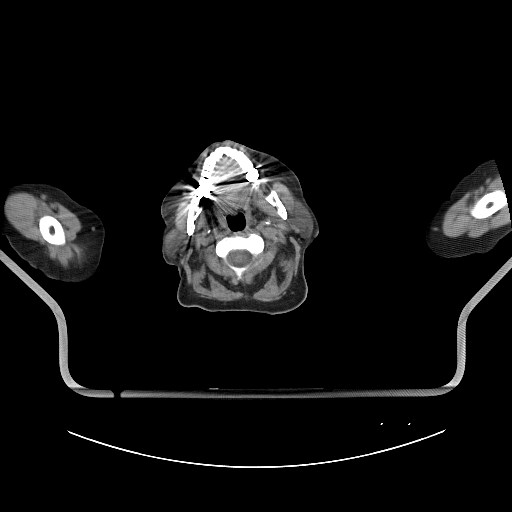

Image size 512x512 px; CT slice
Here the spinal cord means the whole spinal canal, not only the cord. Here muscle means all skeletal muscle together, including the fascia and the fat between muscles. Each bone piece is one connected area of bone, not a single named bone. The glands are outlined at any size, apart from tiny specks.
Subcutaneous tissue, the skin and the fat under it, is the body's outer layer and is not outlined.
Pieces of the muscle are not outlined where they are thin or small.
Outlined structures:
head and neck: [[222,140],[232,140],[268,152],[281,160],[297,176],[303,195],[316,216],[319,232],[304,253],[307,296],[291,311],[279,314],[211,312],[199,307],[182,306],[177,300],[178,270],[168,264],[161,253],[164,228],[161,203],[169,189],[203,150],[211,143]] with a hole at [[238,214],[243,214],[243,216],[244,217],[244,219],[245,220],[245,225],[243,227],[243,228],[242,228],[241,229],[239,229],[238,230],[233,230],[232,229],[231,229],[229,227],[229,226],[228,225],[228,222],[227,221],[227,217],[228,216],[236,216]]
parotid glands 1: [[296,199],[298,199],[309,212],[311,216],[312,221],[313,222],[313,228],[312,229],[311,234],[309,236],[309,237],[307,238],[304,238],[302,237],[298,233],[297,233],[293,229],[292,229],[290,225],[290,218],[291,217],[291,212],[295,207],[295,200]]
parotid glands 2: [[173,226],[178,226],[181,230],[181,231],[183,233],[183,244],[181,246],[181,248],[177,253],[177,255],[175,258],[172,258],[171,257],[170,257],[166,253],[166,251],[165,250],[165,238],[166,237],[166,235],[168,233],[168,232],[173,227]]
left arm: [[491,158],[494,160],[497,167],[507,199],[508,217],[511,223],[511,232],[503,237],[491,250],[485,253],[478,253],[455,258],[436,257],[428,250],[424,241],[424,232],[429,217],[442,201],[447,200],[449,198],[450,192],[462,177],[471,172],[478,164]]
muscle 1: [[232,146],[240,147],[267,162],[297,197],[289,225],[303,238],[300,268],[293,293],[274,302],[197,297],[188,289],[177,256],[184,233],[172,227],[168,206],[205,156],[187,206],[188,236],[215,167],[225,159],[234,161],[283,220],[288,218],[278,192],[270,184],[244,151]]; inner edge: [[238,214],[243,214],[245,220],[243,228],[238,230],[239,233],[244,236],[249,233],[257,233],[264,240],[264,249],[256,259],[257,263],[251,265],[242,274],[240,279],[237,278],[236,274],[215,253],[216,241],[233,234],[235,231],[229,227],[227,217]]
muscle 2: [[16,192],[33,192],[34,193],[45,194],[57,200],[73,212],[78,217],[82,225],[82,229],[86,245],[86,260],[82,264],[76,267],[63,267],[59,265],[49,258],[35,243],[23,236],[9,222],[7,218],[3,214],[4,204],[6,198],[11,194]]; inner edge: [[43,215],[50,215],[54,217],[59,221],[63,228],[63,231],[64,232],[64,235],[65,236],[65,243],[64,244],[62,245],[56,245],[55,244],[52,244],[51,243],[49,243],[43,238],[40,232],[40,230],[39,229],[39,219],[40,217],[41,217]]
muscle 3: [[499,173],[504,191],[499,188],[496,188],[484,193],[469,209],[469,214],[473,218],[478,220],[485,219],[497,212],[507,203],[508,217],[511,224],[485,235],[468,239],[458,237],[449,237],[444,235],[440,228],[443,215],[446,210],[471,186],[488,176]]
bones 1: [[225,145],[241,149],[257,167],[277,192],[286,209],[287,218],[283,219],[265,197],[250,182],[246,181],[245,175],[241,173],[234,160],[225,158],[214,167],[210,186],[194,224],[193,233],[188,235],[186,229],[188,206],[198,187],[203,161],[216,147]]
bones 2: [[235,231],[238,231],[240,234],[244,236],[246,236],[249,233],[257,233],[264,240],[264,249],[256,259],[257,263],[251,265],[242,274],[242,276],[240,279],[237,278],[236,274],[215,253],[215,243],[216,241],[225,236],[229,236],[233,234]], around a hole outlined by [[233,250],[246,250],[251,255],[251,261],[250,261],[248,263],[247,263],[246,264],[245,264],[244,265],[234,265],[233,264],[232,264],[231,263],[230,263],[228,261],[228,260],[227,259],[227,256],[228,255],[228,254],[231,251],[232,251]]
bones 3: [[496,189],[499,189],[505,193],[505,195],[507,199],[507,202],[504,205],[503,205],[501,208],[500,208],[497,211],[488,217],[486,217],[485,218],[481,218],[480,219],[473,217],[470,214],[470,209],[474,205],[474,204],[484,194],[488,192],[493,191]]
bones 4: [[43,215],[50,215],[54,217],[59,221],[63,228],[63,231],[64,232],[64,235],[65,236],[65,243],[64,244],[62,245],[56,245],[55,244],[52,244],[51,243],[49,243],[43,238],[40,232],[40,230],[39,229],[39,219],[40,217],[41,217]]
right arm: [[21,182],[43,182],[56,186],[65,191],[73,199],[79,203],[93,210],[100,217],[105,229],[104,242],[99,266],[96,272],[91,278],[78,284],[63,282],[49,278],[22,259],[11,247],[6,237],[1,234],[4,204],[6,200],[8,189],[10,186]]
spinal cord: [[233,250],[246,250],[251,255],[251,261],[250,261],[248,263],[247,263],[246,264],[245,264],[244,265],[234,265],[233,264],[232,264],[231,263],[230,263],[228,261],[228,260],[227,259],[227,256],[228,255],[228,254],[231,251],[232,251]]